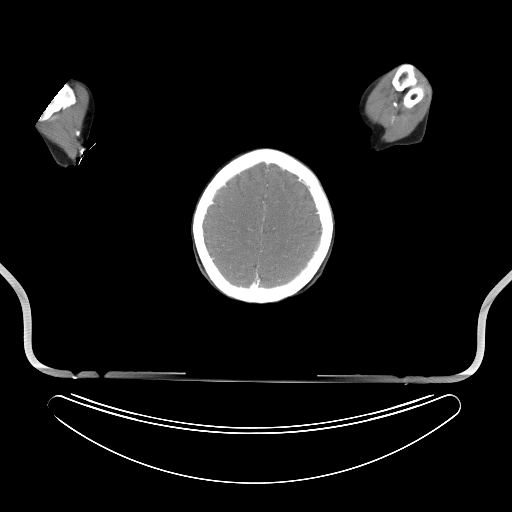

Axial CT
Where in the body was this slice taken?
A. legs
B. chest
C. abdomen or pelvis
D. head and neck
D. head and neck
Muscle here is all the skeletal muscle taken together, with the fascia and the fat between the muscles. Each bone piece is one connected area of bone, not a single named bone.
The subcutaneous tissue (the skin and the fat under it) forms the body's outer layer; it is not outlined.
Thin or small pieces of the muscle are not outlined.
{"head":[[[256,146],[280,148],[307,163],[313,169],[325,190],[335,220],[335,241],[331,256],[322,275],[307,291],[277,305],[250,306],[242,303],[234,303],[226,299],[212,289],[202,277],[192,253],[190,225],[194,208],[204,186],[218,167],[226,160],[240,151]]],"muscle":[[[395,70],[391,84],[396,91],[405,91],[401,99],[401,103],[405,108],[412,108],[425,96],[424,88],[418,84],[416,70],[429,88],[429,100],[423,118],[411,134],[395,141],[386,142],[381,140],[382,127],[372,122],[364,110],[366,100],[377,83]],[[73,83],[78,83],[83,86],[87,91],[89,97],[88,108],[82,129],[81,144],[83,147],[83,153],[81,157],[78,157],[75,160],[68,158],[62,150],[53,143],[39,128],[39,122],[50,119],[55,113],[73,105],[76,102],[75,92],[70,85]]],"brain":[[[260,163],[278,166],[282,170],[296,176],[307,188],[318,217],[320,233],[311,256],[291,279],[284,283],[263,286],[260,285],[260,281],[257,278],[249,285],[244,286],[232,283],[216,265],[205,241],[204,221],[208,208],[214,203],[217,192],[236,175]]],"left_arm":[[[405,62],[413,64],[419,68],[428,78],[433,88],[433,97],[424,136],[422,140],[416,144],[396,145],[386,149],[375,151],[371,149],[369,146],[369,135],[370,134],[369,130],[362,123],[358,115],[358,103],[360,97],[365,88],[375,78],[394,66]]],"bones":[{"outer":[[262,147],[282,150],[303,162],[316,174],[325,190],[331,205],[334,229],[331,244],[323,262],[313,277],[299,291],[279,301],[254,303],[244,302],[225,295],[209,279],[200,261],[194,244],[192,235],[192,215],[202,190],[212,176],[224,164],[244,152]],"hole":[[260,163],[278,166],[282,170],[296,176],[307,188],[318,217],[320,233],[311,256],[291,279],[284,283],[263,286],[260,285],[260,281],[257,278],[249,285],[244,286],[232,283],[216,265],[205,241],[204,221],[208,208],[214,203],[217,192],[236,175]]},[[404,63],[413,64],[415,67],[414,74],[415,77],[417,79],[417,84],[421,86],[424,90],[424,96],[423,98],[410,108],[405,107],[402,103],[402,99],[406,91],[405,90],[398,91],[395,89],[392,84],[392,79],[395,74],[396,69],[401,64]],[[66,83],[72,88],[74,92],[74,94],[75,95],[75,102],[73,104],[65,108],[62,108],[57,112],[55,112],[50,118],[46,120],[38,121],[38,119],[40,115],[42,113],[46,106],[49,103],[49,102],[52,99],[55,94],[64,85],[64,84]]],"right_arm":[[[71,78],[76,78],[83,81],[91,89],[95,100],[95,112],[89,133],[89,137],[86,148],[87,149],[83,153],[81,159],[77,162],[78,163],[77,165],[74,167],[61,168],[57,165],[42,138],[35,129],[35,124],[38,121],[40,115],[55,94]]]}